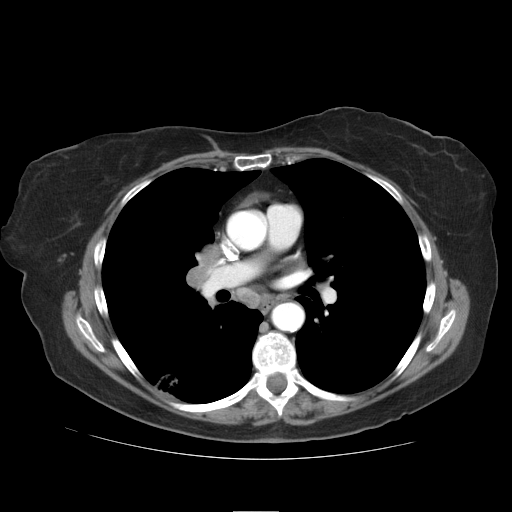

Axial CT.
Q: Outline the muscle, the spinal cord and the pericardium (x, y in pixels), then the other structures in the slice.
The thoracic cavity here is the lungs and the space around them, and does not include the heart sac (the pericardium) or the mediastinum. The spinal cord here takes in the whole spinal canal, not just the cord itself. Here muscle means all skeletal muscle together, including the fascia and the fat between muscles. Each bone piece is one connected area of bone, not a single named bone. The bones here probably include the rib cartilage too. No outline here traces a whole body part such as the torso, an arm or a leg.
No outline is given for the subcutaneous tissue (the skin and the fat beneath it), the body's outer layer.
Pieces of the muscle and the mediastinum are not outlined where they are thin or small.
A: muscle: 278,146 319,147 335,152 388,177 416,203 418,213 437,238 436,245 448,275 459,279 467,288 470,310 463,335 449,357 415,381 369,405 311,424 291,425 280,420 258,426 228,425 168,411 111,378 76,349 63,326 61,303 64,293 75,287 86,245 116,194 164,162 186,154 216,149 252,154 234,156 233,169 184,166 136,183 120,199 120,211 107,237 99,238 93,247 94,266 101,270 101,285 93,289 95,305 101,317 109,318 116,335 110,338 111,345 135,378 143,377 179,400 166,402 180,411 205,413 229,407 255,394 270,404 280,418 287,402 302,390 327,401 351,402 357,397 350,394 371,388 391,373 389,380 393,381 420,345 423,334 418,329 436,295 436,283 432,279 427,281 425,269 425,262 432,259 432,249 425,233 420,232 417,242 414,240 402,195 377,175 361,173 325,157 272,164 274,156 262,152 with holes at 451,309 454,309 455,310 455,317 450,327 442,336 442,337 440,339 438,343 435,346 435,347 430,351 426,351 425,349 426,347 428,345 428,344 435,337 437,333 437,331 438,330 439,324 440,323 441,319 and at 78,313 80,314 81,316 88,322 95,336 97,338 97,339 102,344 103,347 105,349 105,351 104,352 101,352 95,349 95,348 92,345 90,341 88,339 87,339 80,331 76,323 76,315
spinal cord: 275,373 280,373 282,374 284,376 285,378 285,380 286,381 286,385 285,387 281,391 279,392 277,392 276,393 275,392 273,392 271,391 267,387 267,381 268,380 268,378 269,376
pericardium: 256,191 283,192 293,197 302,208 304,219 301,240 304,251 304,264 300,280 297,286 292,290 267,293 264,291 257,291 249,287 241,286 232,279 225,266 220,250 218,249 216,231 222,221 222,218 242,199
thoracic cavity 1: 184,167 259,171 219,208 217,219 212,224 214,239 211,244 213,273 218,287 229,294 229,300 258,310 262,315 251,350 254,371 233,393 198,403 181,401 143,376 116,334 102,286 107,238 121,210 154,180
thoracic cavity 2: 309,158 339,162 383,188 409,218 412,238 418,243 424,261 423,313 413,339 386,377 371,387 349,394 315,385 297,366 295,340 306,321 306,311 296,298 309,271 304,211 295,193 271,169 287,161 294,163
bones 1: 270,331 281,333 294,344 296,366 309,382 323,390 355,396 356,399 351,401 327,400 302,389 286,402 280,417 270,403 255,393 229,406 205,412 180,410 167,402 209,403 239,390 255,371 252,350 257,338 with a hole at 275,373 280,373 282,374 284,376 285,378 285,380 286,381 286,385 285,387 281,391 279,392 277,392 276,393 275,392 273,392 271,391 267,387 267,381 268,380 268,378 269,376
bones 2: 259,153 270,153 273,156 273,161 272,163 270,165 264,168 255,168 254,169 247,169 246,170 237,170 236,169 234,169 234,168 232,166 232,161 234,157 235,157 237,155 252,155 253,154 258,154
bones 3: 419,331 421,332 422,335 421,336 421,339 420,340 419,345 415,353 413,355 412,358 410,360 410,361 408,363 406,367 403,370 403,371 393,380 390,380 393,374 392,372 406,352 407,349 414,339 416,334
bones 4: 112,337 117,337 120,343 141,373 142,376 139,379 135,377 128,370 128,369 125,366 125,365 122,362 122,361 118,356 111,342 111,338
bones 5: 451,309 454,309 455,310 455,317 450,327 442,336 442,337 440,339 438,343 435,346 435,347 430,351 426,351 425,349 426,347 428,345 428,344 435,337 437,333 437,331 438,330 439,324 440,323 441,319
bones 6: 78,313 80,314 81,316 88,322 95,336 97,338 97,339 102,344 103,347 105,349 105,351 104,352 101,352 95,349 95,348 92,345 90,341 88,339 87,339 80,331 76,323 76,315
bones 7: 365,173 369,173 372,175 377,176 387,181 390,184 391,184 398,191 398,192 401,195 403,199 403,204 401,205 383,187 382,187 378,183 377,183 375,181 374,181 372,179 371,179 369,177 365,175
bones 8: 97,285 100,285 102,287 103,293 104,294 104,297 105,298 105,301 106,302 106,305 107,306 107,311 108,312 108,316 109,317 108,318 104,318 101,316 98,310 98,308 96,305 96,302 94,297 94,289
bones 9: 430,280 432,280 434,281 435,283 435,295 434,296 433,303 431,306 431,308 429,312 425,314 423,312 423,302 424,301 424,298 425,297 425,293 426,292 426,287 427,286 427,282
bones 10: 149,178 151,178 152,179 152,181 142,189 141,189 135,195 134,195 123,206 123,207 121,209 120,209 119,208 119,203 121,199 124,196 124,195 132,187 133,187 136,184 141,182 145,179 148,179
bones 11: 102,237 106,237 106,243 105,244 105,250 104,251 104,254 103,255 103,260 102,261 102,264 101,265 101,269 97,269 94,263 94,257 93,256 94,254 94,247 96,243 98,241 98,240
bones 12: 420,233 423,233 427,236 428,238 428,240 429,241 429,243 430,244 430,248 431,249 431,259 429,261 425,261 424,260 423,258 423,256 422,255 422,253 421,252 420,245 418,242 418,236 420,235
mediastinum: 275,164 270,171 299,203 283,191 252,191 221,218 215,237 235,283 283,293 301,280 304,225 308,271 295,299 305,321 294,343 273,330 257,337 262,313 229,299 212,257 213,224 222,205 260,174 255,169